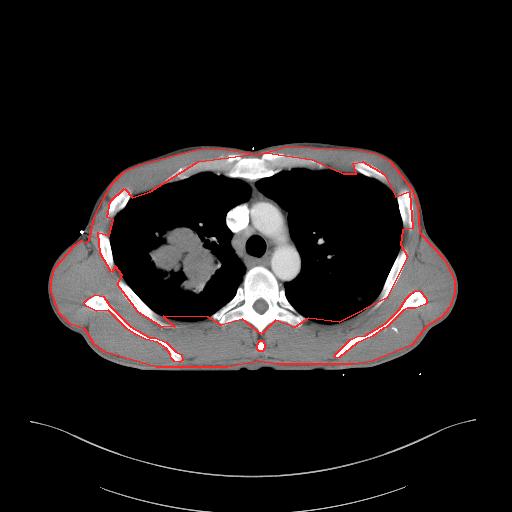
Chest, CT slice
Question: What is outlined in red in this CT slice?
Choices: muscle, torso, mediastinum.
Answer: red: muscle.
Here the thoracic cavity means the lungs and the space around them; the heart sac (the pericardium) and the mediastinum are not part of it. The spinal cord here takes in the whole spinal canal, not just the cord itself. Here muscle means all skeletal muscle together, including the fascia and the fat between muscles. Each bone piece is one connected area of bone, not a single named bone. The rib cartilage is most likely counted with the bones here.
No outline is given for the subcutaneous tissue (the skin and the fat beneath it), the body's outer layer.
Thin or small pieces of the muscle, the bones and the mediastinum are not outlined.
The muscle is outlined by 287,146 357,149 376,153 389,160 411,188 417,204 419,232 444,259 454,280 454,293 449,307 441,317 426,326 411,345 372,361 353,364 276,364 258,361 227,367 156,367 105,352 94,344 85,329 70,324 59,313 51,291 51,280 55,267 74,245 81,240 86,242 89,240 94,217 103,199 112,183 124,171 139,164 196,149 220,148 258,154; inner edges: 265,152 312,159 343,173 356,173 353,163 362,161 384,174 395,196 409,191 412,228 402,230 400,244 407,256 386,298 339,322 308,318 294,327 275,320 261,334 242,319 221,325 208,317 163,316 174,326 162,327 138,312 117,284 122,275 115,266 111,272 100,253 98,232 109,235 113,220 107,217 110,201 124,188 132,197 150,191 198,161, then 95,294 103,296 109,305 130,326 149,337 155,337 166,342 175,351 181,354 182,360 179,362 174,361 171,358 170,354 166,348 157,342 145,339 135,334 126,328 108,310 96,311 86,306 84,302 88,298, then 416,290 420,291 425,297 426,299 426,303 425,304 415,308 407,308 403,310 386,327 383,328 372,336 356,343 339,357 337,358 335,357 335,354 350,339 356,336 365,335 385,323 399,309 406,298 411,293, then 259,340 262,340 263,341 263,342 264,343 264,348 263,349 263,350 262,351 259,351 257,349 257,344 258,343 258,342 259,341. The bones appear in 10 outlined pieces: piece 1: 255,266 263,266 273,274 279,285 284,289 288,301 307,319 299,327 294,327 281,320 275,320 269,323 262,333 259,334 258,330 251,323 242,319 234,320 226,325 221,325 217,320 209,318 232,299 245,273, around a hole outlined by 258,299 262,299 263,300 264,300 266,302 266,303 267,304 267,308 263,312 262,312 261,313 260,313 259,312 258,312 257,311 256,311 255,310 255,309 253,307 253,305 254,304 254,303; piece 2: 265,152 284,153 312,159 324,165 325,168 323,169 305,167 284,168 270,176 257,179 230,177 222,172 217,173 211,170 204,170 186,178 160,185 162,181 180,167 198,161 230,153 236,153 242,157 260,157; piece 3: 95,294 103,296 109,305 130,326 149,337 155,337 166,342 175,351 181,354 182,360 179,362 174,361 171,358 170,354 166,348 157,342 145,339 135,334 126,328 108,310 96,311 86,306 84,302 88,298; piece 4: 416,290 420,291 425,297 426,299 426,303 425,304 415,308 407,308 403,310 386,327 383,328 372,336 356,343 339,357 337,358 335,357 335,354 350,339 356,336 365,335 385,323 399,309 406,298 411,293; piece 5: 118,279 122,279 132,289 132,290 142,300 142,301 144,303 145,303 156,313 162,316 162,319 164,321 174,326 173,327 162,327 152,322 139,312 138,312 129,303 129,302 122,294 117,284 117,280; piece 6: 403,247 405,247 407,249 407,256 405,260 404,266 401,271 401,273 397,281 395,283 394,286 392,288 386,298 376,308 372,309 372,307 374,305 376,301 376,299 382,289 382,287 393,265 393,263 400,249; piece 7: 403,188 405,188 409,191 411,196 411,199 412,200 412,205 413,206 413,222 412,223 412,228 410,231 403,227 402,219 401,218 401,215 399,210 399,206 398,205 398,202 396,197 398,192; piece 8: 124,188 129,188 131,190 131,192 132,193 131,194 131,197 129,199 129,200 127,202 125,206 120,211 119,211 114,216 114,217 112,219 109,219 107,217 107,210 108,209 108,207 109,206 110,201 120,190; piece 9: 100,230 102,230 106,234 107,234 109,237 109,242 110,243 110,247 111,248 111,253 112,254 112,256 113,257 113,261 115,265 112,272 111,272 105,265 100,253 100,250 99,249 99,244 98,243 98,232; piece 10: 356,161 362,161 363,162 365,162 366,163 371,164 375,167 376,167 378,169 379,169 384,174 386,178 387,183 385,184 375,178 373,178 372,177 369,177 359,172 357,172 353,167 353,163. The thoracic cavity appears in 2 outlined pieces: piece 1: 292,168 330,169 343,173 359,173 386,185 396,198 403,228 400,248 376,298 359,313 339,322 322,323 307,318 296,309 286,295 284,284 295,279 302,268 300,252 290,232 288,210 260,191 256,183 262,178; piece 2: 204,171 222,173 227,177 239,179 250,188 249,197 229,209 224,218 225,225 231,232 230,245 245,271 231,299 208,317 194,321 177,320 163,316 152,309 124,280 114,261 109,236 110,229 115,216 132,197. The torso is outlined by 296,141 379,150 393,158 415,186 425,228 455,270 458,295 449,315 411,351 375,366 344,370 278,371 263,367 255,371 146,371 101,357 57,318 47,294 52,264 80,235 96,198 122,168 191,145 255,150. The mediastinum is outlined by 236,178 257,180 255,183 257,189 288,212 289,232 299,252 301,268 296,277 285,282 283,287 274,274 263,265 255,265 246,271 245,266 231,245 232,232 226,225 226,214 238,204 246,201 251,193 250,186. The spinal cord is outlined by 258,299 262,299 263,300 264,300 266,302 266,303 267,304 267,308 263,312 262,312 261,313 260,313 259,312 258,312 257,311 256,311 255,310 255,309 253,307 253,305 254,304 254,303.